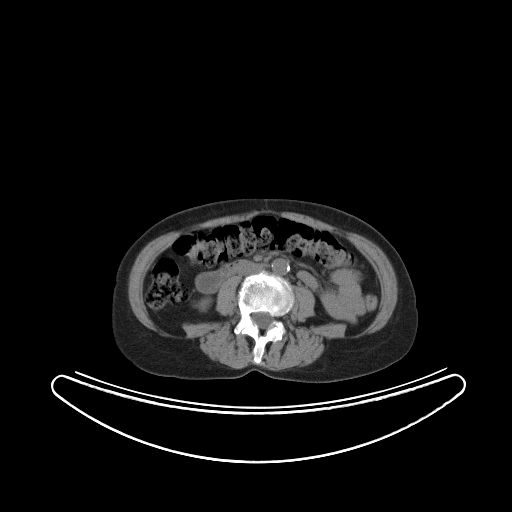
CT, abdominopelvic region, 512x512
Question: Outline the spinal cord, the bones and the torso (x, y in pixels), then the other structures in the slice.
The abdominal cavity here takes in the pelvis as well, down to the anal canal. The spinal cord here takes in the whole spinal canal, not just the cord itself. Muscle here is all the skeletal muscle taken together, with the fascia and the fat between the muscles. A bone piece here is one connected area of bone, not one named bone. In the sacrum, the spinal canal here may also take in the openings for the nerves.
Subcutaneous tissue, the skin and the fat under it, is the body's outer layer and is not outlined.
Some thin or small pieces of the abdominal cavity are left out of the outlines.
Answer: spinal cord: [[258,312],[266,312],[267,313],[268,313],[272,317],[273,317],[274,318],[273,319],[273,320],[271,322],[271,326],[270,326],[268,328],[267,328],[266,329],[262,329],[259,327],[259,326],[253,320],[253,319],[251,316],[251,315],[253,313],[257,313]]
bones: [[262,270],[287,280],[291,285],[294,300],[291,309],[280,318],[285,328],[285,333],[280,340],[266,343],[261,361],[259,364],[256,364],[253,361],[252,353],[255,344],[254,339],[247,334],[236,334],[234,328],[240,318],[238,306],[240,285],[246,276]], around a hole outlined by [[258,312],[266,312],[267,313],[268,313],[272,317],[273,317],[274,318],[273,319],[273,320],[271,322],[271,326],[270,326],[268,328],[267,328],[266,329],[262,329],[259,327],[259,326],[253,320],[253,319],[251,316],[251,315],[253,313],[257,313]]
torso: [[250,197],[301,199],[339,208],[372,225],[393,245],[411,278],[418,310],[416,337],[403,358],[356,378],[303,383],[274,379],[254,370],[231,379],[159,376],[139,369],[124,357],[114,342],[110,315],[116,271],[127,249],[150,226],[174,212],[212,201]]
muscle: [[263,209],[270,209],[279,212],[282,212],[283,211],[295,212],[296,213],[307,215],[315,219],[325,222],[330,225],[335,226],[345,231],[353,232],[359,234],[376,244],[383,251],[388,258],[394,270],[397,280],[397,301],[396,302],[396,305],[390,318],[385,325],[379,330],[371,334],[368,334],[359,338],[356,338],[355,339],[333,339],[330,340],[327,345],[325,346],[325,349],[323,353],[314,362],[303,367],[295,366],[278,371],[270,370],[255,364],[250,364],[243,368],[240,368],[239,369],[231,368],[224,364],[221,364],[218,362],[211,360],[200,350],[197,345],[192,343],[191,341],[188,340],[178,340],[177,339],[172,339],[171,338],[163,337],[143,325],[134,315],[130,307],[129,301],[128,300],[128,296],[127,295],[127,285],[128,284],[128,277],[131,267],[137,255],[147,243],[156,237],[170,231],[176,231],[180,229],[183,229],[191,225],[204,222],[210,219],[222,217],[223,216],[227,216],[228,215],[233,215],[234,214],[241,214],[246,212],[250,212],[254,210],[262,210]] with a hole at [[259,214],[348,240],[379,282],[373,319],[354,333],[342,322],[307,324],[315,296],[292,284],[286,331],[256,364],[254,339],[234,332],[242,280],[232,275],[217,290],[219,320],[183,323],[181,335],[156,323],[144,296],[154,260],[189,230]]
abdominal cavity: [[259,214],[286,217],[348,240],[379,282],[373,319],[354,333],[347,333],[342,322],[307,324],[315,315],[313,292],[262,269],[242,280],[232,275],[220,284],[215,299],[219,320],[183,323],[181,335],[156,323],[144,296],[145,278],[154,260],[189,230]]